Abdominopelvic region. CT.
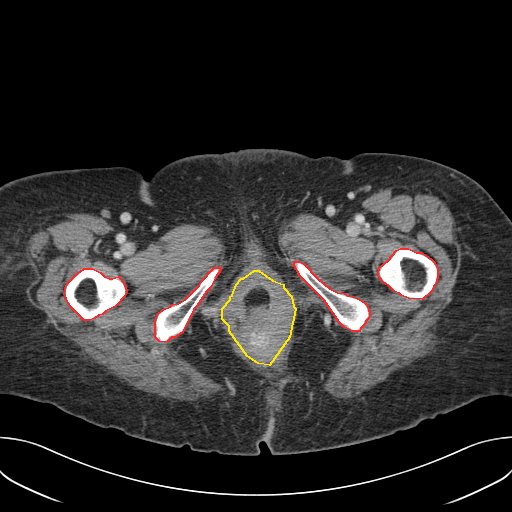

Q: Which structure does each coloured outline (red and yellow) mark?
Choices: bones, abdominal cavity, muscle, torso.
A: red: bones; yellow: abdominal cavity.
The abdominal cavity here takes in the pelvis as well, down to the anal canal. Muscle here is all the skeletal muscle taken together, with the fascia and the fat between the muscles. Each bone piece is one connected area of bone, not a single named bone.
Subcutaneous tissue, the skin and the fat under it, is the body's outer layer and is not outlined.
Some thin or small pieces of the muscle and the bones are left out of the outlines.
{"bones":[[[400,248],[408,248],[416,252],[421,252],[430,258],[434,262],[436,266],[437,269],[437,277],[435,284],[433,286],[431,291],[422,299],[408,298],[401,295],[399,293],[394,291],[388,285],[383,282],[379,277],[378,274],[379,267],[388,260],[396,250]],[[84,268],[92,268],[100,272],[104,276],[109,278],[112,278],[118,276],[123,282],[126,291],[124,296],[115,306],[105,311],[102,314],[98,315],[94,318],[89,320],[84,320],[71,307],[68,303],[64,293],[65,291],[65,287],[67,283],[77,273]],[[295,261],[299,261],[303,263],[317,278],[329,288],[337,292],[344,293],[347,295],[353,296],[361,300],[366,304],[368,308],[369,315],[368,318],[365,321],[365,323],[360,328],[359,331],[352,331],[344,327],[339,322],[324,300],[300,276],[293,264]],[[214,267],[220,267],[220,270],[215,277],[210,287],[206,291],[196,306],[193,309],[182,332],[174,337],[171,337],[167,341],[164,342],[159,341],[155,337],[155,320],[158,313],[163,309],[170,306],[172,304],[178,303],[185,299],[199,285],[201,281]]],"abdominal_cavity":[[[254,270],[258,270],[272,280],[283,284],[283,287],[291,296],[293,306],[295,308],[289,337],[269,365],[258,363],[247,356],[229,331],[229,326],[222,319],[222,308],[230,299],[230,296],[232,295],[236,284],[241,278],[243,278]]],"torso":[[[244,148],[279,148],[313,157],[407,154],[456,168],[482,185],[511,220],[511,397],[481,397],[411,428],[347,446],[273,455],[261,441],[259,454],[233,455],[144,440],[50,403],[0,394],[0,185],[41,171],[108,166],[129,167],[149,179],[185,156]]],"muscle":[{"outer":[[392,186],[427,189],[445,201],[458,228],[460,267],[437,321],[443,341],[352,398],[322,390],[337,343],[311,303],[288,354],[297,380],[271,411],[257,380],[263,376],[209,319],[193,324],[186,355],[225,391],[172,401],[107,373],[26,297],[36,275],[27,239],[55,213],[92,213],[133,234],[140,250],[175,226],[208,226],[227,238],[226,269],[255,240],[281,274],[290,270],[277,256],[283,221],[309,213],[338,225]],"holes":[[[254,270],[258,270],[272,280],[283,284],[283,287],[291,296],[293,306],[295,308],[289,337],[269,365],[258,363],[247,356],[229,331],[229,326],[222,319],[222,308],[230,299],[230,296],[232,295],[236,284],[241,278],[243,278]],[[400,248],[408,248],[416,252],[421,252],[430,258],[434,262],[436,266],[437,269],[437,277],[435,284],[433,286],[431,291],[422,299],[408,298],[401,295],[399,293],[394,291],[388,285],[383,282],[379,277],[378,274],[379,267],[388,260],[396,250]],[[84,268],[92,268],[100,272],[104,276],[109,278],[112,278],[118,276],[123,282],[126,291],[124,296],[115,306],[105,311],[102,314],[98,315],[94,318],[89,320],[84,320],[71,307],[68,303],[64,293],[65,291],[65,287],[67,283],[77,273]],[[295,261],[299,261],[303,263],[317,278],[329,288],[337,292],[344,293],[347,295],[353,296],[361,300],[366,304],[368,308],[369,315],[368,318],[365,321],[365,323],[360,328],[359,331],[352,331],[344,327],[339,322],[324,300],[300,276],[293,264]],[[214,267],[220,267],[220,270],[215,277],[210,287],[206,291],[196,306],[193,309],[182,332],[174,337],[171,337],[167,341],[164,342],[159,341],[155,337],[155,320],[158,313],[163,309],[170,306],[172,304],[178,303],[185,299],[199,285],[201,281]]]}]}